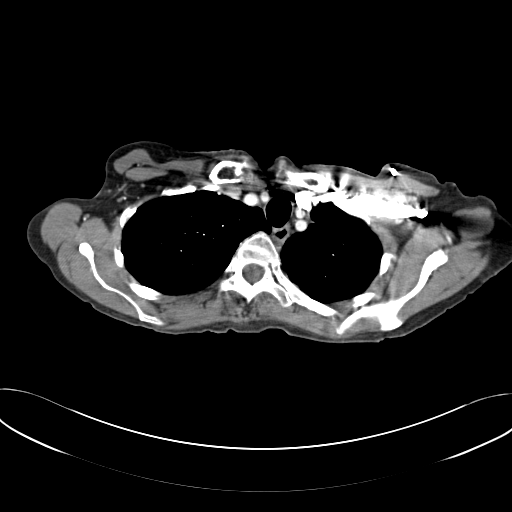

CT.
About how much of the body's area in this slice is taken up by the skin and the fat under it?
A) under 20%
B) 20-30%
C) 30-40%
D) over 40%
A) under 20%
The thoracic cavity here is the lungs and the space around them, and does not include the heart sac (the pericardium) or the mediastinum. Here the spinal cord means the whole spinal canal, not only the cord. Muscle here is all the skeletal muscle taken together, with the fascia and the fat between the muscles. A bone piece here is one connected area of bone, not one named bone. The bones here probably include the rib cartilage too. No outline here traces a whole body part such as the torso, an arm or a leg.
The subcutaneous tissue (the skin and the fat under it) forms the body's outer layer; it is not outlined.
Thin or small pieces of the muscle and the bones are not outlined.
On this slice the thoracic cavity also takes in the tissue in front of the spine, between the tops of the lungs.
The spinal cord is outlined by (252, 264) (254, 264) (255, 265) (257, 265) (258, 266) (261, 267) (263, 269) (263, 273) (262, 274) (261, 277) (258, 280) (257, 280) (256, 281) (251, 283) (250, 282) (249, 282) (245, 278) (245, 277) (243, 274) (243, 269) (246, 266) (247, 266) (248, 265) (251, 265). The bones appear in 10 outlined pieces: piece 1: (258, 231) (265, 232) (271, 238) (279, 254) (281, 269) (287, 277) (308, 296) (338, 310) (341, 316) (335, 315) (333, 318) (324, 316) (294, 302) (284, 307) (280, 305) (273, 295) (264, 291) (256, 295) (248, 303) (233, 290) (217, 293) (218, 280) (239, 244) (245, 238), around a hole outlined by (252, 264) (254, 264) (255, 265) (257, 265) (258, 266) (261, 267) (263, 269) (263, 273) (262, 274) (261, 277) (258, 280) (257, 280) (256, 281) (251, 283) (250, 282) (249, 282) (245, 278) (245, 277) (243, 274) (243, 269) (246, 266) (247, 266) (248, 265) (251, 265); piece 2: (438, 248) (447, 249) (448, 259) (431, 272) (420, 291) (399, 310) (398, 315) (404, 319) (401, 325) (381, 331) (376, 320) (363, 317) (342, 335) (335, 331) (341, 321) (354, 310) (351, 298) (366, 290) (379, 295) (373, 300) (374, 302) (405, 294) (416, 284) (425, 258); piece 3: (280, 167) (283, 169) (290, 168) (291, 169) (314, 171) (316, 173) (326, 177) (329, 184) (329, 188) (325, 191) (320, 191) (317, 193) (313, 192) (311, 190) (309, 191) (302, 187) (297, 187) (292, 185) (287, 185) (283, 183) (280, 183) (278, 182) (275, 176) (276, 172); piece 4: (224, 159) (229, 159) (236, 161) (246, 160) (250, 165) (250, 168) (249, 169) (252, 173) (252, 176) (250, 178) (250, 180) (249, 181) (243, 181) (236, 183) (227, 183) (222, 185) (213, 184) (210, 181) (208, 175) (211, 169) (219, 161); piece 5: (84, 241) (92, 247) (94, 254) (94, 263) (98, 274) (103, 280) (108, 285) (127, 294) (138, 304) (144, 312) (150, 315) (157, 316) (165, 323) (163, 325) (139, 320) (135, 308) (123, 296) (114, 291) (104, 288) (98, 282) (93, 275) (89, 261) (78, 250) (79, 244); piece 6: (131, 276) (132, 276) (140, 284) (144, 286) (152, 288) (157, 291) (159, 291) (163, 294) (169, 295) (167, 297) (162, 297) (157, 300) (151, 300) (150, 299) (146, 299) (145, 298) (140, 297) (134, 292) (133, 292) (130, 289) (130, 288) (127, 284) (127, 282) (131, 279); piece 7: (135, 202) (140, 202) (141, 204) (136, 209) (133, 215) (125, 223) (123, 228) (121, 230) (121, 237) (120, 238) (120, 240) (118, 237) (118, 235) (119, 234) (119, 216) (120, 215) (120, 213) (126, 206) (128, 205) (130, 205) (131, 204) (133, 204); piece 8: (187, 183) (191, 183) (192, 184) (194, 184) (198, 187) (198, 189) (194, 191) (192, 191) (191, 192) (188, 192) (187, 193) (182, 193) (181, 194) (176, 194) (175, 195) (164, 195) (163, 196) (161, 196) (159, 195) (160, 192) (164, 188) (166, 188) (167, 187) (179, 187); piece 9: (338, 199) (339, 200) (341, 200) (358, 212) (360, 212) (362, 214) (365, 215) (368, 218) (369, 218) (369, 219) (371, 220) (370, 226) (368, 226) (362, 219) (358, 217) (353, 216) (347, 213) (345, 211) (341, 209) (338, 206) (337, 206) (333, 202) (329, 201) (335, 201); piece 10: (384, 251) (389, 251) (390, 252) (393, 252) (395, 254) (395, 258) (391, 260) (391, 265) (387, 269) (387, 270) (380, 277) (379, 277) (377, 279) (373, 281) (374, 278) (377, 275) (378, 273) (378, 271) (379, 270) (379, 265) (380, 264) (380, 260) (381, 259) (382, 254). The muscle appears in 2 outlined pieces: piece 1: (136, 148) (147, 150) (158, 162) (243, 154) (260, 175) (271, 174) (284, 160) (304, 169) (280, 166) (274, 174) (277, 182) (302, 188) (317, 194) (329, 189) (330, 184) (325, 175) (310, 168) (326, 167) (371, 178) (409, 173) (439, 189) (437, 195) (427, 199) (432, 213) (447, 214) (479, 205) (490, 209) (490, 260) (468, 284) (405, 321) (400, 310) (421, 291) (432, 272) (448, 261) (447, 248) (438, 247) (424, 258) (417, 280) (408, 291) (374, 301) (380, 295) (368, 288) (388, 270) (396, 254) (383, 250) (370, 227) (372, 220) (365, 214) (341, 199) (322, 201) (319, 198) (301, 189) (278, 186) (222, 186) (249, 182) (253, 176) (246, 159) (229, 158) (210, 169) (207, 177) (211, 183) (167, 186) (157, 196) (122, 209) (136, 188) (114, 169) (113, 162); piece 2: (60, 202) (76, 204) (84, 212) (105, 220) (119, 213) (117, 237) (120, 246) (112, 248) (112, 257) (119, 268) (131, 274) (126, 284) (140, 298) (157, 301) (189, 294) (217, 280) (218, 295) (233, 291) (248, 304) (264, 292) (284, 308) (294, 303) (333, 319) (341, 317) (342, 313) (330, 304) (349, 300) (353, 310) (334, 331) (342, 336) (363, 318) (376, 321) (380, 331) (332, 338) (271, 320) (245, 324) (219, 321) (184, 329) (159, 328) (151, 324) (163, 326) (166, 323) (161, 318) (144, 311) (127, 293) (104, 280) (98, 272) (93, 247) (85, 240) (78, 244) (77, 250) (88, 261) (93, 277) (104, 289) (123, 297) (136, 312) (137, 318) (120, 313) (71, 284) (61, 273) (55, 255) (42, 241) (41, 223) (49, 209). The thoracic cavity is outlined by (207, 183) (248, 190) (301, 190) (333, 203) (362, 220) (377, 235) (383, 251) (376, 275) (367, 289) (349, 299) (321, 302) (288, 277) (272, 238) (258, 230) (238, 244) (221, 276) (202, 289) (170, 295) (140, 283) (126, 268) (121, 249) (126, 223) (151, 199) (191, 193).